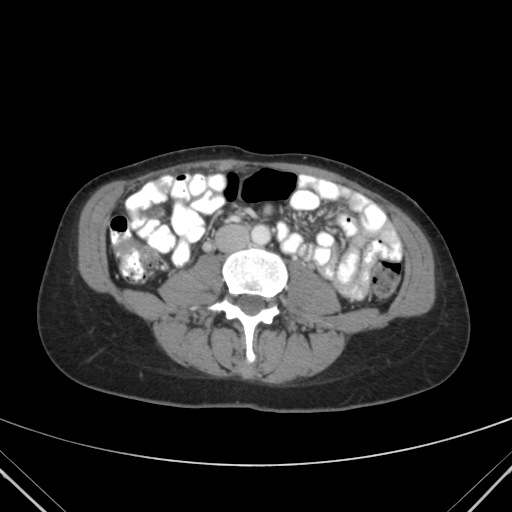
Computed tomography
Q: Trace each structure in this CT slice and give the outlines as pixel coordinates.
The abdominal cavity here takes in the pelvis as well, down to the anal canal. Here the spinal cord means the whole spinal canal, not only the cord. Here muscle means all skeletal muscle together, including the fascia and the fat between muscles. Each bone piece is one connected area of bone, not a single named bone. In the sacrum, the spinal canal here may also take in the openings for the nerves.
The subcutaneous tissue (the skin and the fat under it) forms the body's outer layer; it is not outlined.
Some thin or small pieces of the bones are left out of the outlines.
A: {"bones":[{"outer":[[249,362],[256,357],[252,347],[254,332],[260,324],[272,324],[281,313],[277,298],[287,288],[288,280],[285,261],[278,253],[254,247],[226,257],[221,268],[226,292],[220,300],[204,306],[208,311],[222,312],[227,320],[237,321],[242,326],[244,357]],"hole":[[248,314],[254,314],[258,311],[259,311],[263,307],[265,307],[267,306],[267,303],[264,300],[263,298],[261,297],[259,297],[258,296],[252,296],[251,295],[240,295],[235,298],[231,298],[233,302],[236,303],[246,313]]}],"abdominal_cavity":[[[342,311],[385,310],[402,281],[405,248],[389,216],[343,184],[252,165],[174,170],[136,185],[114,207],[106,251],[117,283],[157,294],[155,289],[172,273],[202,254],[224,259],[238,249],[264,247],[278,252],[286,264],[297,261],[320,274],[334,288]]],"spinal_cord":[[[248,314],[254,314],[258,311],[259,311],[263,307],[265,307],[267,306],[267,303],[264,300],[263,298],[261,297],[259,297],[258,296],[252,296],[251,295],[240,295],[235,298],[231,298],[233,302],[236,303],[246,313]]],"torso":[[[303,414],[341,412],[411,397],[435,388],[461,363],[471,331],[468,303],[448,245],[422,207],[400,189],[339,160],[302,152],[256,152],[232,144],[164,152],[103,172],[82,185],[62,213],[36,299],[38,335],[52,363],[86,388],[144,403]]],"muscle":[{"outer":[[277,383],[314,376],[338,357],[353,335],[383,329],[393,320],[418,316],[430,308],[434,263],[420,227],[399,207],[355,181],[299,163],[199,160],[114,180],[97,189],[79,222],[79,268],[88,285],[144,319],[162,349],[185,368],[210,377],[241,376]],"holes":[[[249,362],[256,328],[281,313],[277,298],[287,288],[288,261],[327,280],[342,311],[387,308],[402,281],[405,248],[389,216],[343,184],[271,167],[174,170],[136,185],[106,227],[111,277],[157,294],[200,255],[223,257],[226,292],[204,306],[242,326]],[[190,310],[196,310],[197,309],[198,309],[200,307],[201,307],[200,307],[199,306],[198,306],[197,305],[193,305],[192,306],[191,306],[189,308],[189,309]]]}]}